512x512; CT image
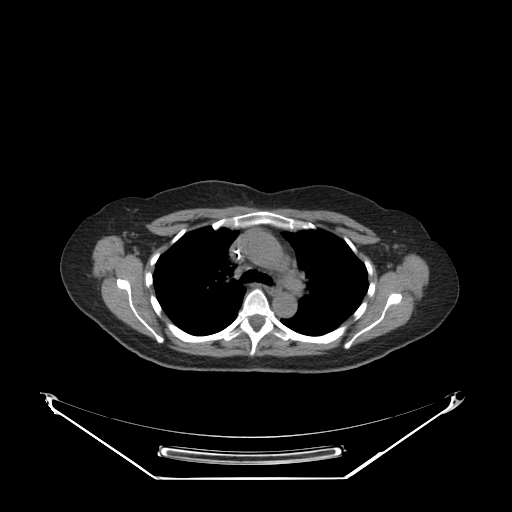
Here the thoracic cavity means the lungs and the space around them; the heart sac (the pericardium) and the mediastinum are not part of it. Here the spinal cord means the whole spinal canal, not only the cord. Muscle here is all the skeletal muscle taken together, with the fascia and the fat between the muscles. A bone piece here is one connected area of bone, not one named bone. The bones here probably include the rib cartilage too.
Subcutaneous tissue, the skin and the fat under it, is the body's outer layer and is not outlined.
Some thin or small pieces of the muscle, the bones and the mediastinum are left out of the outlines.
Outlined structures:
spinal cord: 256,314 257,314 258,315 260,315 261,316 262,316 264,318 264,322 263,323 263,324 257,330 256,330 255,329 254,329 251,326 251,325 250,324 250,323 249,322 249,318 251,316 252,316 253,315 255,315
muscle: 233,205 344,214 380,238 377,243 361,246 379,275 408,253 422,257 429,267 424,294 406,323 351,347 360,335 383,320 391,305 401,301 402,294 393,291 378,318 346,341 342,345 344,349 319,355 254,356 259,341 269,333 283,341 328,344 337,340 348,328 343,322 350,316 354,321 359,319 368,306 364,297 371,298 376,290 376,283 368,279 373,274 371,262 357,256 358,249 346,235 340,237 311,221 270,210 255,210 222,217 190,230 181,228 165,251 156,251 150,257 153,271 144,273 145,286 153,286 154,290 149,295 150,304 158,317 163,312 169,318 165,325 176,338 186,343 230,341 243,332 250,340 250,356 195,355 160,344 165,341 164,337 138,313 131,284 122,277 116,279 116,286 126,292 133,314 157,343 118,319 104,303 92,275 96,242 103,236 120,236 145,263 152,251 168,239 150,232 146,223 178,210
torso: 210,179 242,183 267,192 311,184 333,185 415,216 445,248 455,266 459,279 455,306 446,319 424,337 379,359 337,372 178,370 138,356 70,299 59,271 62,250 84,218 113,200 126,196 147,197 168,188
mediastinum: 262,224 288,231 297,231 282,233 295,252 299,274 304,286 297,310 288,318 279,319 275,315 268,298 260,288 255,287 246,293 246,289 234,277 236,265 231,262 228,249 239,233 237,230 229,228 245,228
thoracic cavity 1: 207,225 214,230 224,227 237,231 236,237 227,249 227,255 230,262 235,265 233,277 245,289 245,293 235,318 229,324 215,332 199,335 183,330 173,323 163,311 155,294 153,272 159,257 170,246 188,231
thoracic cavity 2: 317,228 321,228 336,235 347,244 363,263 367,272 368,286 362,301 351,315 340,325 325,333 311,335 298,332 285,325 280,320 283,318 288,319 295,315 305,289 296,252 283,233 295,233 300,230 314,230
bones 1: 255,288 264,293 274,315 298,333 317,336 342,324 347,328 328,343 283,340 269,332 258,341 253,356 249,354 251,340 243,331 230,340 183,341 170,331 166,325 168,321 192,335 215,333 236,318 245,295 with a hole at 256,314 257,314 258,315 260,315 261,316 262,316 264,318 264,322 263,323 263,324 257,330 256,330 255,329 254,329 251,326 251,325 250,324 250,323 249,322 249,318 251,316 252,316 253,315 255,315
bones 2: 255,211 270,211 283,215 286,217 292,218 295,220 311,222 317,227 314,229 310,228 309,229 300,229 299,230 288,230 270,224 262,223 236,228 221,226 217,229 214,229 210,224 217,220
bones 3: 393,292 396,292 401,294 401,299 400,301 398,303 391,304 387,308 382,320 370,329 360,334 352,342 350,347 347,349 345,349 343,347 343,345 346,342 357,332 368,326 379,318 385,306 385,304 389,295
bones 4: 118,278 122,278 128,280 130,284 131,299 133,306 135,308 137,313 146,323 160,336 163,337 164,341 162,343 159,343 156,340 153,334 136,317 129,305 129,300 127,292 124,289 119,288 117,286 116,281
bones 5: 151,294 154,294 155,295 155,296 156,297 156,298 157,299 157,300 158,301 158,302 162,309 162,312 161,313 161,316 160,317 157,315 157,314 155,312 155,311 151,304 151,302 150,301 150,295
bones 6: 364,300 365,300 367,302 367,306 366,307 366,308 365,309 365,310 364,311 364,312 360,316 360,317 359,318 358,318 356,320 354,320 353,319 353,316 352,315 352,314 355,311 355,310 360,305 360,304
bones 7: 183,228 186,228 186,229 187,230 187,231 185,233 184,233 174,243 173,243 171,245 170,244 170,241 172,239 172,238 181,229 182,229
bones 8: 343,236 346,236 353,243 353,244 355,246 355,247 357,249 357,254 355,254 354,253 354,252 351,249 351,248 348,245 348,244 342,238 343,237
bones 9: 156,252 159,252 160,253 160,255 158,257 158,258 157,259 157,260 156,261 156,262 154,264 154,266 152,266 150,264 150,260 151,259 151,257